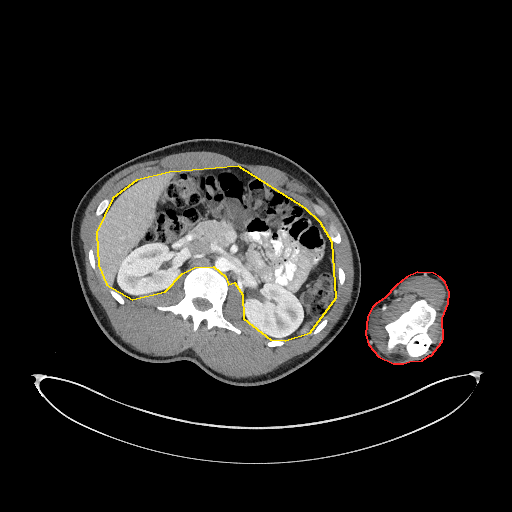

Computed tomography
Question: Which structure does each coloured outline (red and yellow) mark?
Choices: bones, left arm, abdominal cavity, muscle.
Answer: red: left arm; yellow: abdominal cavity.
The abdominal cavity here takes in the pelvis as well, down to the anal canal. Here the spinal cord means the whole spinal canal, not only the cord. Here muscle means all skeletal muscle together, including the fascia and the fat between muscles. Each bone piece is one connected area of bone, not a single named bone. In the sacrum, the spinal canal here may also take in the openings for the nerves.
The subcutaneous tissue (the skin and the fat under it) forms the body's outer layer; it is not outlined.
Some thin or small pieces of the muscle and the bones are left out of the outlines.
{"left_arm":[[[393,363],[403,363],[409,361],[422,360],[429,355],[431,355],[442,341],[443,338],[442,318],[448,303],[449,292],[445,282],[440,277],[433,273],[417,272],[406,277],[396,285],[384,298],[376,303],[372,307],[367,316],[365,334],[368,344],[378,356]]],"abdominal_cavity":[[[285,340],[310,332],[336,297],[332,242],[320,222],[305,208],[238,166],[169,172],[136,180],[112,198],[96,232],[98,265],[106,284],[132,299],[165,291],[182,273],[194,267],[213,266],[225,276],[228,284],[234,282],[242,294],[243,318],[270,339]]],"torso":[[[238,386],[262,385],[280,379],[306,364],[335,338],[358,299],[360,257],[353,235],[332,197],[293,160],[263,147],[232,140],[183,140],[138,155],[109,170],[89,187],[73,214],[72,255],[86,303],[100,329],[119,349],[152,363],[188,360],[212,377]]],"bones":[{"outer":[[238,334],[241,331],[228,321],[222,313],[222,305],[228,289],[226,279],[213,267],[203,266],[192,269],[183,281],[183,298],[173,305],[157,306],[157,309],[179,314],[183,319],[190,317],[193,331],[202,321],[205,321],[208,329],[216,326],[227,328]],"hole":[[200,310],[205,310],[206,309],[207,309],[208,308],[209,308],[211,306],[211,304],[206,299],[204,299],[203,298],[195,298],[193,300],[193,303],[194,304],[194,305],[195,306],[195,307],[196,308],[197,308],[198,309],[199,309]]},[[410,356],[419,356],[425,353],[431,344],[431,340],[427,334],[427,331],[435,320],[436,311],[424,299],[419,299],[415,301],[407,311],[402,313],[395,320],[385,325],[385,329],[389,336],[387,342],[387,349],[390,351],[397,344],[404,344]],[[335,243],[340,243],[341,242],[341,237],[340,236],[340,234],[339,232],[336,229],[333,223],[332,222],[330,222],[329,224],[329,226],[327,229],[327,231],[328,232],[328,234],[330,238],[332,240],[332,241]],[[97,216],[98,216],[99,215],[100,215],[105,210],[105,209],[107,207],[107,206],[109,204],[109,202],[110,201],[110,200],[109,199],[104,199],[103,200],[102,200],[99,203],[99,204],[98,205],[98,206],[97,207],[97,208],[95,211],[95,214]],[[314,334],[316,334],[318,332],[319,332],[326,325],[326,324],[327,323],[327,319],[326,318],[326,317],[325,317],[324,318],[323,318],[323,319],[318,324],[318,325],[314,329],[314,330],[313,331],[313,333]],[[121,304],[122,304],[124,302],[124,301],[123,300],[123,298],[120,295],[120,294],[119,294],[115,290],[114,290],[113,289],[110,289],[110,292],[111,293],[111,294],[112,295],[112,296],[119,303],[120,303]],[[93,269],[95,269],[95,268],[96,267],[95,266],[95,259],[94,258],[94,254],[93,253],[93,250],[92,249],[90,249],[89,250],[89,252],[88,253],[88,254],[89,255],[89,261],[90,262],[90,264],[91,265],[91,266],[92,267],[92,268]],[[321,216],[323,216],[324,215],[325,215],[325,212],[324,211],[324,210],[320,206],[319,206],[318,205],[317,205],[316,204],[314,204],[313,205],[313,206],[314,207],[314,209],[315,210],[315,211],[319,215],[320,215]]],"spinal_cord":[[[200,310],[205,310],[206,309],[207,309],[208,308],[209,308],[211,306],[211,304],[206,299],[204,299],[203,298],[195,298],[193,300],[193,303],[194,304],[194,305],[195,306],[195,307],[196,308],[197,308],[198,309],[199,309]]],"muscle":[{"outer":[[232,377],[249,377],[250,376],[257,376],[258,375],[264,374],[277,368],[280,365],[288,361],[293,357],[302,354],[314,347],[330,331],[339,319],[344,310],[346,304],[350,299],[350,296],[352,291],[352,286],[353,285],[353,274],[354,273],[353,271],[353,259],[352,258],[351,249],[350,248],[350,245],[347,236],[342,225],[340,223],[338,218],[329,206],[323,200],[319,198],[316,195],[313,194],[311,190],[304,184],[300,182],[297,179],[291,177],[285,172],[271,166],[241,163],[235,161],[233,159],[227,156],[215,152],[209,152],[208,151],[190,151],[189,152],[182,152],[181,153],[171,154],[162,157],[160,159],[137,163],[123,169],[111,177],[94,195],[85,210],[81,222],[81,225],[80,226],[80,238],[82,242],[82,247],[84,253],[84,263],[86,269],[87,281],[93,295],[101,304],[102,307],[106,312],[106,314],[115,332],[126,343],[129,344],[135,349],[147,354],[164,356],[165,355],[173,355],[182,352],[186,349],[190,348],[192,349],[208,366],[222,374],[228,376],[231,376]],"holes":[[[272,347],[312,329],[316,334],[327,323],[324,316],[335,300],[337,281],[345,280],[342,268],[335,272],[332,243],[340,243],[341,237],[332,222],[326,231],[296,201],[238,166],[136,180],[99,203],[98,265],[119,303],[123,296],[132,299],[165,291],[185,273],[183,298],[157,309],[190,317],[193,331],[205,321],[208,329],[216,326],[239,334],[222,313],[228,284],[234,282],[242,294],[243,318],[268,337],[266,344]],[[93,269],[95,269],[95,268],[96,267],[95,266],[95,259],[94,258],[94,254],[93,253],[93,250],[92,249],[90,249],[89,250],[89,252],[88,253],[88,254],[89,255],[89,261],[90,262],[90,264],[91,265],[91,266],[92,267],[92,268]],[[321,216],[323,216],[324,215],[325,215],[325,212],[324,211],[324,210],[320,206],[319,206],[318,205],[317,205],[316,204],[314,204],[313,205],[313,206],[314,207],[314,209],[315,210],[315,211],[319,215],[320,215]]]},[[404,356],[408,356],[404,345],[397,345],[390,352],[386,349],[388,336],[384,325],[415,300],[424,298],[437,311],[436,320],[428,331],[432,343],[437,340],[439,311],[445,292],[437,280],[428,276],[408,280],[370,313],[369,329],[378,349],[388,355]]]}